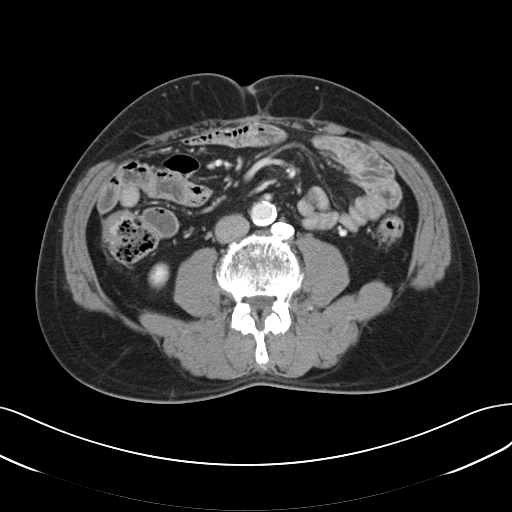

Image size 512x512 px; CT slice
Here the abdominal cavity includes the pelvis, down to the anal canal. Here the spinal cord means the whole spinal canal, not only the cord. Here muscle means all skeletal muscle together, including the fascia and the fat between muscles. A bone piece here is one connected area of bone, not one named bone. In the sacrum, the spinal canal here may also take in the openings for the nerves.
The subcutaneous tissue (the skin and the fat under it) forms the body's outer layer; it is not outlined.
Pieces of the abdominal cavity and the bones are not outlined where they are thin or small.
Outlined structures:
spinal cord: (254, 296) (269, 296) (270, 297) (274, 297) (275, 298) (271, 303) (271, 306) (270, 307) (271, 308) (271, 312) (264, 317) (263, 325) (261, 328) (257, 328) (256, 327) (256, 321) (250, 313) (251, 312) (250, 305) (248, 302) (244, 300) (245, 298) (249, 298)
bones: (279, 222) (293, 228) (287, 241) (298, 258) (303, 278) (300, 289) (290, 300) (291, 323) (288, 329) (278, 334) (269, 331) (264, 336) (268, 361) (261, 365) (255, 359) (254, 336) (230, 327) (234, 301) (218, 285) (215, 271) (231, 242) (252, 233) (268, 234) (270, 228) with a hole at (254, 296) (269, 296) (270, 297) (274, 297) (275, 298) (271, 303) (271, 306) (270, 307) (271, 308) (271, 312) (264, 317) (263, 325) (261, 328) (257, 328) (256, 327) (256, 321) (250, 313) (251, 312) (250, 305) (248, 302) (244, 300) (245, 298) (249, 298)
abdominal cavity: (252, 120) (353, 137) (393, 165) (417, 205) (405, 279) (374, 278) (338, 296) (350, 281) (340, 250) (299, 235) (301, 270) (294, 228) (279, 221) (231, 241) (217, 265) (209, 246) (180, 262) (172, 297) (193, 318) (144, 307) (124, 314) (87, 244) (104, 184) (136, 152)
torso: (200, 72) (242, 84) (274, 74) (328, 79) (379, 105) (421, 143) (456, 198) (479, 272) (474, 324) (447, 364) (415, 383) (377, 393) (255, 385) (212, 399) (160, 404) (96, 391) (58, 363) (41, 332) (34, 293) (42, 236) (57, 193) (88, 145) (125, 106) (165, 81)
muscle: (257, 113) (265, 113) (272, 116) (295, 116) (304, 118) (312, 117) (315, 119) (334, 122) (337, 124) (357, 130) (362, 133) (365, 133) (373, 138) (383, 141) (391, 146) (399, 148) (411, 154) (425, 169) (441, 199) (448, 223) (448, 229) (450, 237) (451, 259) (449, 265) (445, 270) (444, 276) (441, 280) (438, 281) (431, 288) (428, 288) (425, 290) (412, 290) (405, 293) (400, 297) (390, 310) (385, 313) (378, 315) (361, 332) (359, 340) (357, 343) (354, 346) (351, 347) (344, 354) (340, 361) (335, 366) (326, 369) (313, 367) (303, 375) (295, 378) (281, 377) (274, 370) (268, 366) (263, 366) (255, 369) (234, 379) (210, 379) (204, 376) (194, 376) (191, 375) (187, 371) (183, 370) (178, 364) (169, 361) (163, 357) (154, 343) (146, 335) (143, 335) (136, 332) (116, 322) (106, 314) (86, 310) (74, 301) (66, 280) (63, 256) (62, 255) (62, 233) (63, 232) (62, 228) (64, 216) (69, 198) (76, 185) (84, 176) (88, 169) (97, 163) (122, 153) (144, 141) (148, 137) (157, 135) (171, 129) (189, 125) (194, 122) (205, 119) (211, 118) (234, 119) (248, 115) (254, 115); inner edge: (252, 120) (365, 142) (417, 205) (409, 269) (394, 284) (338, 296) (350, 281) (340, 250) (296, 238) (301, 286) (288, 329) (264, 336) (262, 365) (254, 336) (230, 327) (214, 247) (177, 267) (172, 297) (193, 318) (144, 307) (135, 318) (103, 290) (86, 237) (131, 155)